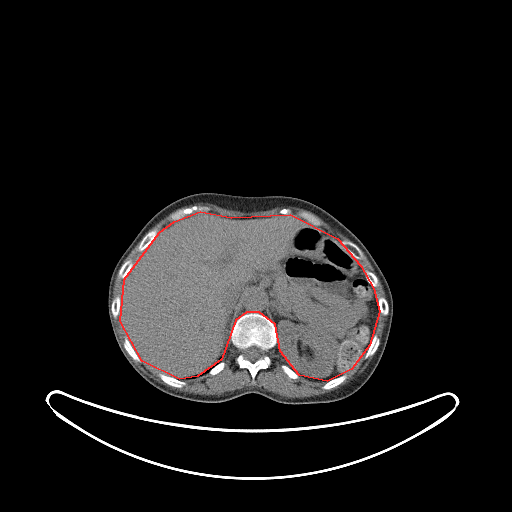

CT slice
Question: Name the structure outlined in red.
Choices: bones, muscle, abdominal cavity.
Answer: red: abdominal cavity.
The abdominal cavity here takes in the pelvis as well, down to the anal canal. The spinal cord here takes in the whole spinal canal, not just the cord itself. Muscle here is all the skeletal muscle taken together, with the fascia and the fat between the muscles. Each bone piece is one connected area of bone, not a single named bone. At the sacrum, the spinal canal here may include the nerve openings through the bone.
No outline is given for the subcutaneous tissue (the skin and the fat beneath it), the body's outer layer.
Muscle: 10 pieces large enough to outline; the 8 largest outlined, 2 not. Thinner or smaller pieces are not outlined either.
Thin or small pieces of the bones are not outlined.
The abdominal cavity is outlined by [[200,211],[231,217],[290,214],[337,238],[360,265],[373,288],[379,311],[369,345],[351,369],[327,381],[299,375],[280,351],[275,324],[259,312],[246,312],[235,320],[221,359],[197,376],[179,379],[142,361],[120,321],[124,279],[159,232],[174,221]]. The bones appear in 15 outlined pieces: piece 1: [[246,313],[259,313],[264,315],[271,320],[277,332],[276,344],[267,352],[270,357],[271,363],[267,368],[260,369],[255,375],[254,379],[252,379],[250,372],[246,368],[240,368],[236,363],[235,359],[239,351],[232,344],[230,339],[230,333],[236,320]]; inner edge: [[251,346],[256,346],[257,347],[258,347],[260,349],[261,349],[263,351],[263,355],[262,356],[262,357],[257,359],[255,361],[254,361],[253,362],[252,362],[251,361],[246,359],[244,357],[244,355],[243,354],[243,351],[245,349],[246,349]]; piece 2: [[193,205],[197,205],[198,206],[204,206],[205,207],[207,207],[207,209],[204,209],[203,210],[198,210],[197,211],[194,211],[192,213],[190,213],[176,220],[172,220],[170,218],[170,215],[172,213],[180,209],[183,209],[187,207],[190,207]]; piece 3: [[343,240],[348,240],[349,241],[351,241],[353,242],[356,245],[357,245],[363,252],[363,256],[360,259],[357,259],[353,256],[352,256],[349,253],[348,253],[348,252],[346,251],[343,247],[342,247],[340,243],[341,241]]; piece 4: [[155,228],[158,229],[158,232],[157,233],[157,235],[156,236],[155,239],[147,247],[146,247],[142,251],[139,251],[137,248],[138,247],[138,245],[139,244],[139,242],[141,240],[141,239],[144,236],[144,235],[148,231],[149,231],[150,230],[152,230]]; piece 5: [[159,373],[163,373],[166,375],[171,376],[176,379],[178,379],[179,380],[183,380],[184,381],[185,381],[185,385],[184,385],[181,388],[176,388],[175,387],[170,386],[169,385],[168,385],[166,383],[165,383],[160,378],[160,377],[158,375],[158,374]]; piece 6: [[374,334],[376,334],[377,335],[377,336],[379,338],[380,343],[379,344],[375,353],[373,355],[372,355],[371,356],[369,356],[367,358],[365,358],[364,357],[364,356],[368,349],[368,347],[370,345],[370,343],[372,340],[372,338],[373,337]]; piece 7: [[129,259],[132,260],[132,261],[133,262],[133,265],[132,266],[131,269],[129,271],[129,272],[127,274],[127,275],[124,278],[118,278],[117,277],[117,274],[118,273],[118,271],[119,270],[119,269],[120,268],[121,265],[126,260],[128,260]]; piece 8: [[343,374],[345,374],[346,375],[346,378],[340,384],[339,384],[337,386],[336,386],[331,389],[329,389],[328,390],[325,390],[322,388],[322,386],[326,382],[327,382],[328,381],[329,381],[330,380],[331,380],[336,377],[338,377]]; piece 9: [[125,337],[127,337],[127,338],[129,340],[129,341],[130,342],[133,349],[139,357],[139,358],[140,359],[140,362],[137,362],[136,361],[133,360],[124,348],[124,347],[123,346],[123,342],[124,341],[124,339],[125,338]]; piece 10: [[117,295],[119,295],[119,296],[120,297],[120,307],[119,308],[119,313],[118,314],[118,315],[117,316],[117,317],[116,318],[114,318],[111,315],[111,312],[110,311],[110,307],[111,306],[111,302],[112,301],[112,300],[114,298],[114,297],[115,297]]; piece 11: [[379,297],[384,297],[387,300],[387,302],[388,303],[388,306],[389,307],[389,312],[388,313],[388,314],[387,315],[383,315],[380,312],[380,311],[379,310],[379,307],[378,306],[378,298]]; piece 12: [[365,270],[367,270],[368,271],[370,271],[371,272],[372,272],[374,274],[375,274],[376,275],[376,276],[378,278],[378,285],[377,286],[376,286],[375,287],[373,287],[368,282],[368,281],[366,279],[366,277],[365,276],[365,275],[364,274],[364,271]]; piece 13: [[300,211],[305,211],[307,213],[309,213],[311,215],[312,215],[316,219],[317,219],[319,221],[319,225],[314,225],[309,221],[308,221],[307,220],[306,220],[305,219],[304,219],[302,217],[301,217],[300,216],[299,216],[298,215],[298,212],[299,212]]; piece 14: [[282,364],[284,364],[285,365],[286,365],[287,366],[288,366],[291,369],[292,369],[299,376],[298,377],[298,378],[297,378],[296,379],[294,379],[293,378],[291,378],[290,377],[289,377],[284,372],[284,371],[282,369],[282,368],[281,367],[281,365]]; piece 15: [[220,361],[223,361],[224,362],[224,367],[222,369],[222,370],[221,370],[219,372],[218,372],[216,374],[214,374],[213,375],[211,375],[210,374],[209,374],[208,373],[208,371],[212,367],[213,367],[216,364],[217,364]]. The torso is outlined by [[201,192],[291,196],[309,201],[339,220],[368,249],[389,285],[393,317],[381,359],[369,379],[355,393],[327,403],[284,404],[259,394],[205,403],[164,393],[148,383],[130,365],[118,346],[108,315],[108,286],[112,271],[141,228],[160,209],[181,197]]. The muscle appears in 8 outlined pieces: piece 1: [[230,342],[238,351],[235,363],[240,369],[246,369],[252,380],[260,370],[271,365],[268,352],[277,344],[287,363],[280,367],[289,378],[296,380],[301,376],[313,382],[325,382],[321,386],[325,391],[340,385],[347,378],[346,373],[362,357],[373,357],[348,383],[319,395],[289,398],[261,387],[244,387],[220,395],[196,394],[170,387],[181,389],[186,385],[186,379],[207,372],[213,376],[222,371],[225,362],[221,360]]; piece 2: [[199,202],[211,203],[223,207],[226,209],[231,209],[232,210],[237,210],[244,212],[263,211],[275,207],[288,207],[289,206],[302,208],[315,214],[327,223],[333,229],[336,231],[338,231],[350,240],[343,239],[340,242],[337,237],[325,228],[320,227],[320,221],[312,214],[309,212],[307,212],[305,210],[298,211],[297,212],[297,215],[298,216],[292,215],[291,214],[292,210],[288,207],[282,207],[278,211],[279,213],[278,215],[272,215],[271,216],[270,215],[269,216],[252,216],[251,215],[231,216],[230,215],[221,215],[219,213],[211,210],[204,210],[207,210],[208,209],[207,206],[204,205],[198,205],[197,204],[193,204],[192,205],[190,206],[180,208],[172,212],[184,206],[187,206],[188,205],[191,205],[192,204],[195,204]]; piece 3: [[141,360],[142,362],[145,363],[148,366],[156,370],[158,372],[157,375],[159,378],[165,384],[167,385],[160,383],[151,377],[145,371],[139,367],[139,366],[136,364],[135,362],[137,363],[140,363],[141,362]]; piece 4: [[379,313],[380,313],[383,316],[387,316],[387,320],[385,324],[385,327],[384,328],[384,330],[382,334],[381,340],[380,340],[380,338],[378,336],[378,335],[376,333],[375,333],[375,331],[376,330],[376,326],[377,325],[377,322],[378,321],[378,314]]; piece 5: [[118,316],[119,316],[119,321],[121,323],[121,326],[123,329],[123,331],[125,332],[125,336],[123,339],[122,344],[118,337],[118,335],[114,327],[114,324],[112,321],[112,317],[114,319],[116,319],[118,317]]; piece 6: [[169,214],[170,214],[169,215],[169,218],[172,221],[173,221],[171,223],[170,223],[168,225],[166,225],[165,227],[164,227],[163,229],[162,229],[160,231],[159,231],[159,229],[156,227],[152,229],[150,229],[152,228],[163,218],[164,218]]; piece 7: [[364,254],[366,256],[366,257],[370,262],[371,265],[373,267],[375,273],[374,273],[372,271],[371,271],[370,270],[368,270],[367,269],[365,269],[364,270],[363,270],[362,269],[362,267],[361,266],[361,265],[359,263],[358,260],[360,260],[364,256]]; piece 8: [[116,276],[116,277],[118,279],[123,279],[123,283],[121,286],[121,291],[120,292],[120,293],[119,294],[117,294],[115,296],[114,296],[112,299],[112,294],[113,293],[113,287],[114,286],[114,282],[115,281],[115,279],[116,278]]. The spinal cord is outlined by [[251,346],[256,346],[257,347],[258,347],[260,349],[261,349],[263,351],[263,355],[262,356],[262,357],[257,359],[255,361],[254,361],[253,362],[252,362],[251,361],[246,359],[244,357],[244,355],[243,354],[243,351],[245,349],[246,349]].